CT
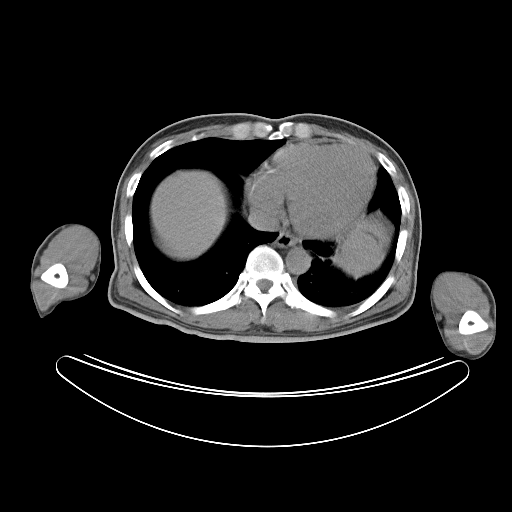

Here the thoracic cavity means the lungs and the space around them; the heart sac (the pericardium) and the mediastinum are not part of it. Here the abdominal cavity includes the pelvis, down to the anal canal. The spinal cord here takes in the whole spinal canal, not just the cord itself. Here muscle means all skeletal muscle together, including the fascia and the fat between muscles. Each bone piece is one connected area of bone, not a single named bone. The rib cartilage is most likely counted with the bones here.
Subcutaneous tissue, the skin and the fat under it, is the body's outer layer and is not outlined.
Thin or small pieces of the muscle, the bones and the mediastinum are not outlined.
{"thoracic_cavity":[[[206,137],[284,142],[249,173],[239,174],[237,208],[230,187],[211,169],[180,167],[165,175],[147,206],[152,245],[172,262],[197,260],[216,244],[235,213],[276,236],[248,252],[225,294],[190,306],[168,300],[142,271],[133,244],[132,204],[154,159]],[[382,168],[391,177],[401,213],[394,259],[386,277],[371,294],[355,305],[328,307],[310,300],[294,282],[310,271],[316,258],[316,254],[304,246],[304,241],[335,241],[329,264],[353,281],[374,274],[386,261],[394,241],[394,223],[379,207],[368,209]]],"spinal_cord":[[[261,279],[266,279],[267,280],[269,280],[270,281],[271,281],[271,282],[272,283],[272,284],[271,285],[271,286],[265,292],[264,292],[263,291],[262,291],[259,288],[259,287],[257,285],[257,282],[259,280],[260,280]]],"right_arm":[[[68,222],[77,222],[84,224],[91,228],[99,237],[101,244],[101,263],[99,269],[99,275],[94,287],[88,294],[72,301],[64,301],[60,303],[50,314],[41,318],[36,311],[30,291],[30,267],[32,259],[37,247],[43,239],[54,228],[61,224]]],"pericardium":[[[297,139],[331,139],[339,142],[345,142],[357,146],[367,152],[375,163],[375,187],[365,211],[356,217],[340,234],[336,236],[316,239],[299,234],[289,234],[268,229],[258,229],[250,224],[245,215],[243,194],[249,177],[261,165],[262,162],[280,146]]],"left_arm":[[[446,269],[465,270],[478,275],[487,282],[494,295],[495,302],[496,303],[496,333],[495,334],[495,339],[490,349],[482,357],[478,359],[462,360],[460,359],[459,357],[452,354],[448,351],[445,347],[437,329],[430,305],[430,287],[434,277],[439,272]]],"bones":[{"outer":[[260,244],[271,247],[279,254],[284,269],[307,299],[332,309],[336,314],[327,317],[301,308],[292,308],[279,296],[267,305],[264,320],[261,307],[251,297],[244,297],[238,305],[223,310],[205,314],[192,313],[192,306],[213,302],[234,286],[249,252]],"hole":[[261,279],[266,279],[267,280],[269,280],[270,281],[271,281],[271,282],[272,283],[272,284],[271,285],[271,286],[265,292],[264,292],[263,291],[262,291],[259,288],[259,287],[257,285],[257,282],[259,280],[260,280]]},[[286,121],[291,121],[295,123],[302,122],[307,124],[312,130],[311,136],[307,138],[299,138],[294,135],[290,135],[280,139],[267,139],[255,137],[249,139],[230,138],[230,128],[238,123],[245,122],[252,124],[255,122],[264,122],[276,128],[279,124]],[[467,309],[472,309],[476,311],[487,323],[488,325],[488,327],[487,329],[485,330],[483,330],[482,331],[475,332],[471,334],[462,334],[460,333],[458,330],[458,325],[459,324],[459,321],[461,318],[461,316]],[[57,262],[60,262],[62,263],[65,266],[66,268],[66,270],[67,271],[67,273],[68,274],[68,281],[67,282],[67,284],[66,286],[63,288],[58,288],[57,287],[52,286],[50,284],[43,281],[40,277],[42,273],[49,266]],[[389,273],[393,275],[394,277],[394,282],[389,287],[387,291],[374,304],[373,304],[364,311],[356,315],[354,315],[353,316],[349,316],[347,317],[346,315],[349,312],[353,310],[363,300],[364,300],[370,295],[371,295],[377,289],[377,288],[387,277]],[[136,262],[137,262],[141,271],[143,273],[145,278],[150,284],[150,285],[159,294],[165,298],[171,305],[172,305],[175,308],[179,309],[181,311],[181,313],[176,313],[172,310],[164,306],[157,300],[153,298],[141,286],[133,270],[133,266]],[[403,228],[406,229],[408,233],[407,234],[407,238],[406,239],[405,247],[404,248],[403,253],[401,256],[400,261],[399,262],[397,262],[395,260],[395,250],[396,249],[396,244],[397,243],[397,239],[398,238],[399,231],[400,229],[402,229]],[[398,186],[402,186],[403,187],[404,187],[404,188],[407,193],[408,198],[409,199],[409,213],[407,215],[406,215],[405,216],[402,216],[402,213],[401,212],[401,206],[400,205],[400,202],[399,201],[399,197],[398,196],[398,193],[397,192],[397,187]],[[376,152],[381,152],[384,155],[385,155],[392,162],[392,163],[393,164],[393,165],[395,168],[395,170],[396,171],[396,174],[395,175],[395,176],[394,176],[393,177],[392,177],[389,174],[389,173],[382,166],[382,165],[378,161],[378,160],[376,157]],[[170,139],[172,139],[173,140],[174,140],[174,146],[173,146],[171,148],[166,150],[164,152],[163,152],[155,158],[154,158],[153,159],[151,159],[149,156],[149,154],[150,153],[150,152],[154,148],[155,148],[161,143],[162,143],[167,140],[169,140]],[[137,171],[142,171],[142,174],[139,179],[139,181],[137,184],[137,186],[135,189],[135,191],[134,192],[133,195],[131,197],[128,197],[126,195],[126,190],[127,189],[127,185],[128,184],[128,182],[129,181],[131,176],[135,172],[136,172]],[[129,212],[131,212],[131,220],[132,221],[132,231],[133,232],[133,239],[132,240],[132,244],[130,246],[129,245],[128,245],[128,244],[126,241],[126,238],[125,237],[125,229],[124,228],[124,227],[125,226],[125,217],[126,216],[126,215]],[[331,134],[340,134],[341,135],[344,136],[346,138],[348,138],[349,139],[352,140],[354,143],[353,144],[352,144],[351,143],[348,143],[345,141],[342,141],[341,140],[340,140],[338,138],[337,138],[336,137],[333,136]]],"muscle":[[[306,123],[344,131],[380,147],[396,163],[406,180],[414,201],[415,217],[411,283],[402,301],[380,312],[321,331],[278,332],[262,324],[243,331],[192,325],[119,295],[116,288],[119,271],[117,235],[120,197],[125,179],[159,139],[198,127],[234,124],[229,128],[229,138],[206,136],[202,131],[194,133],[189,141],[177,145],[174,139],[167,139],[149,152],[152,160],[144,171],[137,170],[130,176],[125,195],[132,197],[131,211],[124,217],[123,228],[127,245],[133,245],[137,261],[132,270],[140,286],[176,314],[182,311],[168,301],[189,306],[194,315],[205,315],[238,306],[244,298],[251,298],[260,307],[262,321],[266,318],[268,305],[278,297],[292,309],[327,318],[337,314],[331,308],[357,305],[345,315],[348,318],[374,305],[395,282],[394,275],[389,272],[394,260],[397,263],[401,261],[406,247],[409,232],[400,225],[402,217],[410,213],[408,193],[402,185],[395,187],[392,178],[397,174],[396,168],[381,151],[376,151],[374,157],[340,133],[331,133],[334,137],[312,135],[313,130]],{"outer":[[69,226],[82,227],[89,231],[94,236],[97,242],[96,261],[94,267],[90,272],[88,285],[83,292],[72,297],[61,299],[51,305],[47,310],[42,311],[36,302],[33,291],[34,272],[40,262],[40,257],[43,251],[47,247],[50,241],[61,230]],"hole":[[57,262],[60,262],[62,263],[65,266],[66,268],[66,270],[67,271],[67,273],[68,274],[68,281],[67,282],[67,284],[66,286],[63,288],[58,288],[57,287],[52,286],[50,284],[43,281],[40,277],[42,273],[49,266]]},{"outer":[[447,272],[457,272],[468,275],[480,286],[482,291],[487,296],[490,305],[489,313],[493,322],[491,339],[486,347],[477,354],[470,354],[464,350],[454,349],[448,343],[445,336],[444,322],[441,318],[441,314],[435,305],[433,297],[433,291],[438,278]],"hole":[[467,309],[472,309],[476,311],[487,323],[488,325],[488,327],[487,329],[485,330],[483,330],[482,331],[475,332],[471,334],[462,334],[460,333],[458,330],[458,325],[459,324],[459,321],[461,318],[461,316]]}],"torso":[[[222,113],[267,118],[301,113],[334,116],[370,130],[400,155],[413,180],[421,210],[417,283],[407,311],[389,322],[337,337],[295,343],[249,343],[188,334],[110,304],[107,289],[114,268],[110,226],[116,186],[124,167],[135,150],[159,129],[192,116]]],"abdominal_cavity":[[[180,168],[203,168],[215,172],[229,187],[232,194],[234,206],[234,213],[232,215],[225,230],[215,244],[199,258],[185,262],[172,261],[162,255],[156,249],[153,245],[150,237],[149,223],[148,222],[148,206],[152,192],[157,184],[165,176],[174,170]],[[378,208],[391,220],[394,226],[394,236],[390,251],[385,259],[385,261],[377,271],[357,280],[350,279],[346,277],[340,271],[333,268],[330,264],[330,258],[333,251],[332,250],[336,244],[335,240],[356,218],[361,216],[366,210],[371,211]]],"mediastinum":[[[258,230],[268,230],[315,239],[306,239],[302,242],[305,248],[311,250],[315,254],[315,258],[310,265],[309,271],[299,275],[294,281],[291,275],[285,269],[284,261],[280,254],[271,246],[262,243],[272,242],[277,236],[277,233]],[[258,166],[248,177],[244,185],[244,189],[242,194],[243,211],[244,215],[249,223],[248,223],[238,212],[235,212],[235,208],[237,209],[239,207],[241,201],[241,194],[243,185],[242,184],[243,183],[240,174],[244,174],[245,175],[249,174]],[[372,156],[373,156],[373,157],[374,158],[375,158],[377,160],[377,161],[381,165],[381,166],[382,167],[379,170],[379,171],[378,172],[378,180],[377,181],[377,182],[377,166],[376,165],[376,163],[374,161],[374,160],[372,158]]]}